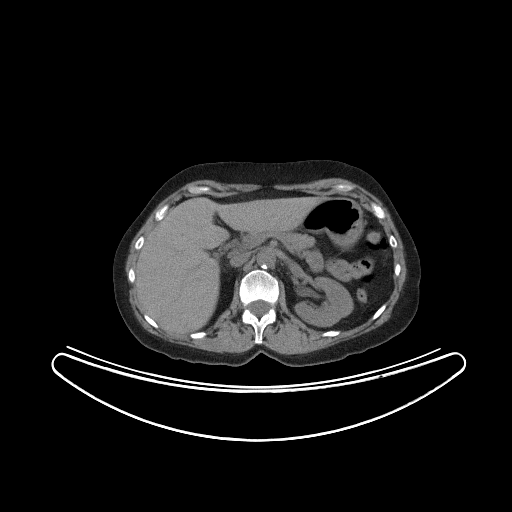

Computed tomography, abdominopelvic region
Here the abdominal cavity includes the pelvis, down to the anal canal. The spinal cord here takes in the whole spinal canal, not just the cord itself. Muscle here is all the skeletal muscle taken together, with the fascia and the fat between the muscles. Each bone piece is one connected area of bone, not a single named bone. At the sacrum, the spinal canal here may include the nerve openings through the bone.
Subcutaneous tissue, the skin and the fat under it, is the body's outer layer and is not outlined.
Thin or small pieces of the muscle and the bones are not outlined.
Outlines:
spinal cord: (257, 300) (262, 300) (263, 301) (265, 301) (266, 302) (267, 302) (270, 306) (269, 307) (268, 310) (265, 313) (264, 313) (260, 316) (257, 316) (255, 314) (254, 314) (252, 312) (251, 312) (251, 311) (248, 307) (248, 306) (250, 303) (251, 303) (254, 301) (256, 301)
muscle: (332, 177) (347, 179) (377, 197) (388, 210) (401, 238) (406, 277) (388, 320) (361, 335) (307, 353) (282, 354) (261, 344) (264, 329) (277, 319) (279, 281) (283, 285) (289, 311) (308, 327) (321, 331) (323, 337) (337, 336) (341, 330) (358, 326) (370, 318) (375, 320) (385, 310) (385, 302) (393, 289) (394, 276) (398, 277) (401, 271) (401, 265) (398, 262) (394, 264) (393, 249) (398, 246) (398, 242) (392, 234) (388, 236) (379, 220) (384, 219) (386, 214) (374, 201) (369, 203) (368, 209) (360, 199) (344, 193) (306, 192) (268, 186) (215, 196) (207, 193) (212, 189) (208, 185) (190, 185) (187, 191) (191, 195) (157, 209) (154, 213) (156, 223) (145, 238) (140, 235) (135, 241) (133, 246) (139, 251) (135, 268) (130, 267) (127, 272) (127, 280) (131, 284) (135, 282) (135, 293) (144, 312) (143, 317) (151, 326) (189, 334) (192, 339) (205, 337) (205, 331) (229, 307) (237, 281) (242, 305) (240, 319) (243, 324) (252, 326) (256, 344) (240, 353) (219, 353) (167, 341) (142, 327) (129, 301) (125, 265) (132, 239) (163, 199) (186, 183) (201, 179) (272, 185) (305, 183); inner edge: (337, 184) (350, 184) (351, 185) (352, 185) (353, 186) (353, 189) (352, 190) (349, 190) (348, 191) (337, 191) (336, 190) (335, 190) (334, 189) (333, 189) (332, 188) (332, 187) (334, 185) (336, 185)
abdominal cavity: (268, 187) (344, 194) (360, 200) (383, 226) (392, 249) (393, 285) (387, 299) (358, 325) (322, 331) (290, 311) (280, 280) (254, 268) (239, 284) (235, 281) (228, 307) (204, 331) (179, 333) (160, 326) (144, 311) (136, 293) (136, 260) (152, 228) (184, 197) (227, 197)
bones 1: (254, 269) (262, 269) (271, 274) (277, 279) (279, 286) (279, 295) (275, 305) (276, 319) (273, 323) (267, 324) (263, 329) (262, 342) (260, 344) (257, 344) (254, 341) (255, 331) (253, 326) (249, 323) (242, 322) (241, 314) (243, 305) (239, 296) (241, 279) (244, 275); inner edge: (257, 300) (262, 300) (263, 301) (265, 301) (266, 302) (267, 302) (270, 306) (269, 307) (268, 310) (265, 313) (264, 313) (260, 316) (257, 316) (255, 314) (254, 314) (252, 312) (251, 312) (251, 311) (248, 307) (248, 306) (250, 303) (251, 303) (254, 301) (256, 301)
bones 2: (190, 186) (208, 186) (211, 189) (208, 192) (207, 192) (206, 193) (200, 193) (199, 194) (192, 194) (191, 193) (190, 193) (188, 191) (188, 188)
bones 3: (371, 202) (374, 202) (377, 205) (378, 205) (380, 207) (381, 207) (382, 208) (382, 209) (383, 210) (383, 211) (384, 212) (384, 213) (385, 214) (385, 217) (384, 218) (378, 218) (373, 213) (373, 212) (372, 211) (372, 210) (371, 209) (371, 207) (370, 206) (370, 203)
bones 4: (337, 184) (350, 184) (351, 185) (352, 185) (353, 186) (353, 189) (352, 190) (349, 190) (348, 191) (337, 191) (336, 190) (335, 190) (334, 189) (333, 189) (332, 188) (332, 187) (334, 185) (336, 185)
bones 5: (166, 204) (167, 204) (169, 206) (168, 207) (167, 210) (165, 212) (165, 213) (164, 214) (163, 217) (161, 219) (160, 219) (157, 221) (155, 219) (155, 213) (156, 212) (156, 211) (157, 210) (158, 210) (160, 208) (161, 208) (164, 205) (165, 205)
bones 6: (384, 303) (385, 303) (385, 304) (386, 305) (386, 306) (385, 307) (385, 308) (384, 309) (384, 310) (375, 319) (371, 319) (371, 317) (373, 315) (373, 314) (378, 309) (378, 308) (382, 304) (383, 304)
bones 7: (140, 236) (143, 236) (144, 237) (144, 241) (143, 242) (143, 245) (138, 250) (137, 249) (136, 249) (135, 248) (135, 247) (134, 246) (135, 245) (135, 243) (136, 242) (136, 241) (138, 239) (138, 238)
bones 8: (145, 313) (146, 314) (147, 314) (158, 325) (158, 327) (157, 328) (155, 328) (152, 325) (151, 325) (145, 319) (145, 318) (144, 317) (144, 314)
torso: (306, 159) (339, 160) (359, 167) (373, 176) (390, 198) (415, 243) (420, 259) (419, 303) (409, 325) (398, 335) (364, 352) (304, 367) (285, 365) (263, 353) (239, 366) (192, 363) (142, 345) (129, 331) (118, 311) (112, 264) (123, 234) (153, 194) (171, 176) (198, 163)